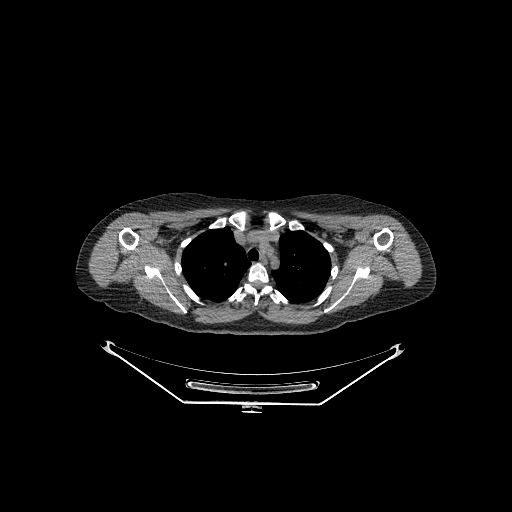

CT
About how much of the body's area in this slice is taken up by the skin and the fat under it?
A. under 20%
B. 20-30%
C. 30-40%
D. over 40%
Answer: B. 20-30%
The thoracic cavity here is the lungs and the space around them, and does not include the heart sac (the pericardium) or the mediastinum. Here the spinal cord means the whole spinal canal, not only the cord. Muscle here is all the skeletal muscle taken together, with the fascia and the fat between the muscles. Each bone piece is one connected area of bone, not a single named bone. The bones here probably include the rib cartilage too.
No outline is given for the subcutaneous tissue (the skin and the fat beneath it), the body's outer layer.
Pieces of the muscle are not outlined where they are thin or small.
bones 1: 253,262 260,262 266,268 273,285 288,300 288,303 275,303 268,294 264,294 259,298 258,303 254,305 255,298 252,294 249,293 240,302 236,300 226,300 243,282 246,277 248,269, around a hole outlined by 255,281 259,281 260,282 261,282 262,283 263,283 263,286 259,290 258,290 256,288 255,288 253,286 253,285 252,284 252,283 253,282 254,282
bones 2: 241,210 244,210 247,213 248,216 248,220 247,221 246,228 244,230 239,230 233,225 228,223 227,223 224,227 221,228 213,228 212,229 207,228 208,225 216,218 220,216 228,216 234,212 240,211
bones 3: 270,211 274,211 275,212 277,212 283,216 288,221 293,218 296,218 303,224 305,227 305,230 290,230 286,224 283,226 279,227 273,231 268,231 268,227 269,226 264,220 264,219 267,216 267,214
bones 4: 383,227 387,227 389,228 393,232 393,241 391,245 388,248 387,251 385,251 384,250 382,251 380,251 376,249 376,248 374,246 372,242 372,236 373,234 376,231 378,231 380,230
bones 5: 367,265 368,265 370,268 369,277 367,278 358,278 353,284 350,291 338,304 328,312 326,313 323,312 323,310 325,308 329,306 340,297 347,289 351,283 351,281 354,276 357,267 358,266 362,266 363,267
bones 6: 124,227 130,227 134,231 135,231 139,235 139,241 138,242 138,244 136,246 135,249 133,249 132,250 128,250 127,249 124,249 124,248 120,244 120,243 119,242 119,240 118,239 118,234 119,233 119,232
bones 7: 146,264 152,267 156,267 158,268 166,285 172,294 176,297 176,298 187,309 187,312 185,314 182,312 178,306 173,301 170,297 169,294 166,291 161,281 156,276 150,279 146,277 146,273 144,269 144,266
bones 8: 327,284 330,284 332,286 332,288 331,289 331,291 330,292 329,295 321,303 320,303 318,305 317,305 316,306 307,306 309,306 310,305 311,305 315,301 316,298 322,292 322,291 325,288 325,287
bones 9: 184,283 187,283 187,284 193,290 193,291 198,296 199,296 199,297 201,299 201,300 202,301 203,301 204,304 199,304 198,303 195,302 193,300 192,300 187,295 187,294 185,292 185,291 182,286 182,285
bones 10: 332,265 336,265 337,266 338,266 338,271 337,272 337,274 336,275 336,276 335,277 335,278 334,279 331,279 330,278 330,272 331,271 331,268 332,267
bones 11: 323,240 324,240 325,241 327,241 329,243 330,243 332,245 332,246 333,247 333,251 331,253 331,254 330,254 328,252 328,251 324,247 324,246 322,244 322,243 321,242
bones 12: 176,260 177,260 178,261 179,261 180,262 180,264 181,265 181,274 180,275 177,275 177,274 176,273 176,272 175,271 175,270 174,269 174,262
bones 13: 188,236 189,236 190,237 191,237 192,238 192,239 191,240 191,241 184,248 183,248 182,249 180,247 180,243 186,237 187,237
mediastinum: 227,225 231,225 239,231 257,227 268,232 273,232 284,226 287,227 288,229 282,233 278,239 279,267 277,269 273,269 270,273 260,261 253,261 251,263 246,255 244,248 236,242 233,232 226,226
thoracic cavity 1: 225,227 227,227 232,232 235,242 243,248 245,255 247,259 249,260 250,264 242,282 226,299 222,301 202,299 188,284 186,278 182,273 181,264 182,252 183,249 196,236 206,229 212,230 221,229
thoracic cavity 2: 288,230 290,231 306,231 321,243 323,247 329,254 330,257 331,267 329,272 329,278 327,280 324,288 315,299 308,302 296,303 289,301 274,285 272,278 270,275 273,270 277,270 280,267 279,239 280,236
muscle: 204,207 250,208 256,212 297,209 314,213 389,215 402,224 415,244 421,259 422,275 411,287 382,289 359,305 324,314 305,324 274,322 256,313 231,322 202,323 186,314 188,309 173,294 158,267 146,263 143,266 145,277 150,280 156,277 160,281 184,314 180,315 145,299 140,300 137,295 124,290 98,286 88,271 88,260 106,227 124,213; inner edges: 241,210 248,216 247,230 257,227 267,231 264,219 274,211 288,221 296,218 313,237 332,245 330,262 338,266 338,271 334,279 327,280 332,288 321,303 307,306 314,299 275,303 264,294 254,305 255,298 249,293 240,302 202,299 204,304 199,304 187,295 182,286 186,278 174,269 174,262 180,262 182,257 180,243 188,236 193,239 216,218, then 383,227 387,227 389,228 393,232 393,241 391,245 388,248 387,251 385,251 384,250 382,251 380,251 376,249 376,248 374,246 372,242 372,236 373,234 376,231 378,231 380,230, then 367,265 368,265 370,268 369,277 367,278 358,278 353,284 350,291 338,304 328,312 326,313 323,312 323,310 325,308 329,306 340,297 347,289 351,283 351,281 354,276 357,267 358,266 362,266 363,267, then 124,227 130,227 134,231 135,231 139,235 139,241 138,242 138,244 136,246 135,249 133,249 132,250 128,250 127,249 124,249 124,248 120,244 120,243 119,242 119,240 118,239 118,234 119,233 119,232
left arm: 375,202 391,207 405,216 417,228 427,242 431,250 435,262 436,273 437,274 437,281 436,282 435,288 432,293 428,297 424,297 409,291 382,266 369,227 369,224 366,217 366,214 369,207
spinal cord: 255,281 259,281 260,282 261,282 262,283 263,283 263,286 259,290 258,290 256,288 255,288 253,286 253,285 252,284 252,283 253,282 254,282
torso: 169,192 197,192 254,200 338,193 374,202 368,207 365,217 381,266 409,292 426,298 308,335 195,333 153,322 134,313 114,311 88,297 76,283 109,285 128,279 140,263 144,249 141,218 133,201
right arm: 132,201 139,214 140,223 142,228 142,238 143,239 142,255 139,263 133,272 128,278 116,283 110,283 109,284 83,284 75,282 74,279 74,270 76,264 76,259 80,246 86,235 96,223 111,211 126,203